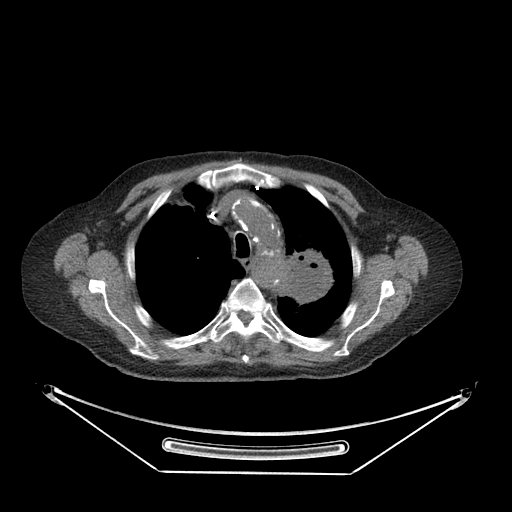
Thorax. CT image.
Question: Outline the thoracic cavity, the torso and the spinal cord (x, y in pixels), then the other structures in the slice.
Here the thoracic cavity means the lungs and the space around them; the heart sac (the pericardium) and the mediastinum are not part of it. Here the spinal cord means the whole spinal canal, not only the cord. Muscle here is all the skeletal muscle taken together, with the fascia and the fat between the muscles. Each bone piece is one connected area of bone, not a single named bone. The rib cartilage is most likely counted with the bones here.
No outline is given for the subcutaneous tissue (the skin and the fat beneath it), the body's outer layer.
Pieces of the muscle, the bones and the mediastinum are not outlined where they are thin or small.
Answer: The thoracic cavity appears in 2 outlined pieces: piece 1: 191,182 209,194 210,199 203,208 205,216 210,224 224,230 229,242 230,257 238,262 244,275 240,279 231,280 231,288 226,297 205,325 189,334 174,335 154,320 142,304 136,283 135,249 146,222 172,195; piece 2: 284,184 305,190 330,210 341,227 349,246 352,277 348,303 338,318 320,336 307,336 294,331 287,326 276,313 279,307 279,286 282,280 282,272 286,259 286,236 279,215 258,192 260,188 278,189. The torso is outlined by 222,149 323,157 355,170 384,195 423,210 444,225 460,251 463,278 457,297 424,328 368,367 327,379 143,379 108,366 79,343 44,326 25,306 20,277 22,253 40,226 64,208 93,198 135,163 165,155. The spinal cord is outlined by 240,310 242,310 243,311 245,311 246,312 248,312 249,313 250,313 251,314 251,315 252,316 252,318 249,321 249,322 247,324 245,324 239,318 239,317 238,316 238,312. The bones appear in 10 outlined pieces: piece 1: 244,277 250,277 255,282 287,327 303,336 333,339 333,345 322,351 311,351 284,340 274,343 262,332 245,339 234,331 218,342 209,339 177,349 162,344 160,341 163,338 189,335 205,326 216,315 229,291 with a hole at 240,310 242,310 243,311 245,311 246,312 248,312 249,313 250,313 251,314 251,315 252,316 252,318 249,321 249,322 247,324 245,324 239,318 239,317 238,316 238,312; piece 2: 234,162 247,163 263,172 276,176 282,181 283,184 278,188 264,188 263,187 259,188 259,186 253,182 240,181 239,182 232,182 228,185 224,185 212,190 206,189 195,182 195,179 198,175 206,170 218,169; piece 3: 91,278 104,280 108,305 111,310 135,334 142,339 154,353 158,355 157,359 147,359 132,354 128,350 130,347 134,345 134,338 123,326 119,324 109,314 105,307 102,294 99,292 92,293 89,290 88,284; piece 4: 384,279 390,280 392,282 394,293 388,297 385,297 382,300 379,311 373,320 368,325 357,331 349,339 347,345 349,354 345,356 333,355 333,353 343,345 347,335 355,328 365,322 373,314 379,300 381,282; piece 5: 131,242 133,242 135,245 135,248 134,249 134,263 135,264 135,281 133,281 130,278 130,277 128,274 128,272 127,271 127,267 126,266 126,248 127,247 127,246 128,245 128,244 129,244; piece 6: 168,188 172,188 172,191 170,195 168,197 167,199 167,201 165,203 164,203 147,221 146,221 146,215 150,207 152,205 152,204 154,202 156,198 160,194 160,193 162,191; piece 7: 351,301 355,301 356,302 357,302 357,307 355,310 355,312 353,315 353,317 352,318 351,321 348,324 348,325 343,328 341,328 340,327 340,321 339,320 339,317 344,311 344,310 346,308 347,305; piece 8: 351,243 353,243 356,246 358,250 358,252 360,255 360,258 361,259 361,268 360,269 360,272 359,273 359,275 356,278 354,278 353,277 353,273 352,272 352,258 351,257 351,251 350,250 350,245; piece 9: 135,302 137,302 141,304 142,306 147,311 147,312 153,319 153,322 152,323 152,326 151,327 147,327 145,326 139,320 139,319 137,317 136,315 136,313 134,310 134,307 133,306; piece 10: 304,183 308,183 309,184 310,184 311,185 314,186 325,197 326,200 330,205 330,209 327,208 321,202 320,202 315,197 314,197 311,194 310,194 304,188 304,186 303,185 303,184. The muscle is outlined by 240,157 252,162 282,165 318,173 343,184 351,191 366,212 360,213 356,218 356,223 350,227 357,239 357,246 365,257 378,253 392,254 397,244 397,238 404,234 416,237 426,252 428,259 427,275 419,283 413,300 392,323 386,325 350,353 348,348 350,339 374,320 380,311 383,300 395,293 393,282 384,278 380,282 379,296 372,314 349,332 342,345 332,353 333,356 345,357 341,360 325,366 293,365 286,367 274,367 263,363 247,365 225,361 194,366 156,363 149,360 157,360 159,355 110,307 104,279 91,277 88,280 87,288 92,294 101,294 108,314 133,338 133,345 127,349 129,353 111,331 82,312 55,273 53,260 57,248 66,237 76,232 83,232 86,235 91,252 97,249 106,249 112,251 120,260 122,258 121,253 133,225 131,223 126,224 123,212 116,213 115,211 131,188 138,182 155,174 181,169 206,161; inner edges: 234,162 247,163 286,185 314,186 330,205 348,245 358,250 361,268 351,278 348,299 357,307 347,326 341,328 337,318 321,334 334,340 322,351 284,340 274,343 262,332 245,339 234,331 218,342 209,339 174,349 160,342 173,333 155,320 147,327 136,315 134,303 142,301 127,271 126,248 137,243 150,207 162,191 172,188 168,202 202,172, then 243,354 244,354 245,354 246,354 247,355 248,356 248,357 249,358 249,359 248,360 248,361 247,362 246,363 245,363 244,362 243,361 243,360 242,359 242,358 241,357 242,356 242,355. The mediastinum is outlined by 240,182 249,182 258,186 257,194 271,206 283,227 285,259 278,286 278,307 276,311 256,282 250,276 244,276 245,271 242,266 231,257 230,242 225,230 219,225 210,223 204,210 211,199 206,190 212,191.